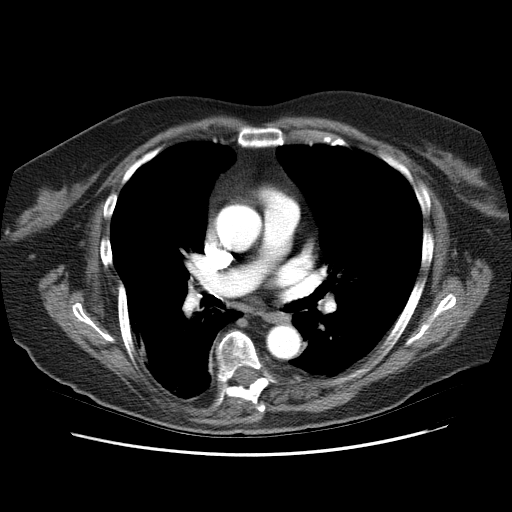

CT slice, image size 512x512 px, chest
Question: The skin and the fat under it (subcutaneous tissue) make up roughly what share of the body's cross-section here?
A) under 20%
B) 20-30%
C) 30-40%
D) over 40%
Answer: C) 30-40%
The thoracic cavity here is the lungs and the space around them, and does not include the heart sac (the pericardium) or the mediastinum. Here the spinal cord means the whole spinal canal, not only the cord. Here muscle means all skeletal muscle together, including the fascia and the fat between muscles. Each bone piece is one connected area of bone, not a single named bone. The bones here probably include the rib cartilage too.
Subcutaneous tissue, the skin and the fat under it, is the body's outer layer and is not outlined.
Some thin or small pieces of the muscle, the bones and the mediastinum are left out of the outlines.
Outlines (x, y in pixels):
bones 1: 233 329; 241 330; 251 338; 257 353; 262 358; 266 358; 269 368; 277 375; 278 382; 269 383; 258 397; 258 400; 265 406; 262 412; 250 400; 241 397; 225 395; 219 405; 213 405; 217 395; 216 346; 225 337; 225 334; inner edge: 242 366; 247 366; 248 367; 250 367; 251 368; 254 369; 256 372; 256 377; 255 378; 255 379; 247 386; 245 386; 242 384; 238 384; 234 380; 234 378; 233 377; 234 376; 234 374; 235 373; 236 370; 239 367; 241 367
bones 2: 241 126; 277 127; 286 136; 296 130; 305 130; 306 129; 320 130; 329 132; 341 137; 349 146; 347 147; 342 145; 330 145; 320 142; 313 143; 310 145; 306 143; 288 140; 284 144; 277 146; 243 147; 238 144; 237 142; 237 134
bones 3: 423 277; 426 278; 425 285; 416 307; 402 333; 389 351; 377 363; 372 365; 366 372; 359 377; 356 377; 353 379; 333 385; 329 384; 328 383; 331 380; 337 377; 346 375; 362 366; 376 354; 380 345; 393 327; 403 310; 416 281
bones 4: 120 281; 122 282; 125 289; 125 294; 127 301; 128 319; 129 320; 129 325; 130 326; 132 340; 135 349; 134 358; 135 359; 136 366; 132 362; 127 353; 122 339; 120 326; 119 325; 118 308; 117 307; 118 305; 118 290; 117 287
bones 5: 379 152; 386 153; 398 160; 408 169; 414 181; 416 183; 423 183; 425 185; 427 188; 429 194; 429 198; 430 199; 430 210; 427 215; 423 215; 422 214; 421 208; 417 199; 416 194; 412 185; 409 181; 399 171; 380 158; 379 157
bones 6: 449 293; 451 293; 455 296; 455 303; 454 305; 452 307; 442 311; 437 315; 430 326; 424 331; 423 334; 419 338; 414 340; 408 346; 405 346; 405 342; 411 336; 416 334; 420 330; 422 324; 427 320; 429 316; 435 310; 440 301
bones 7: 424 227; 427 227; 428 228; 429 228; 433 234; 433 252; 432 253; 432 257; 431 258; 431 262; 430 263; 430 264; 429 265; 429 266; 427 268; 426 268; 425 267; 421 267; 421 256; 422 255; 422 241; 423 240; 423 228
bones 8: 160 145; 164 145; 162 150; 161 150; 150 160; 142 164; 132 174; 132 175; 129 178; 129 179; 123 185; 122 185; 121 184; 121 181; 127 169; 136 160; 137 160; 140 157; 141 157; 145 153; 148 152; 150 150; 154 149; 156 147
bones 9: 76 302; 79 302; 81 304; 82 306; 82 309; 86 315; 88 316; 90 319; 101 330; 106 333; 108 333; 115 340; 114 342; 110 342; 106 340; 89 324; 83 321; 81 321; 78 319; 78 318; 74 314; 73 310; 72 309; 72 305
bones 10: 104 236; 107 236; 109 237; 109 241; 110 242; 110 246; 111 247; 111 255; 112 256; 112 263; 113 264; 112 266; 108 266; 107 267; 105 267; 104 266; 102 262; 101 257; 100 256; 100 242; 101 241; 101 239; 102 237
bones 11: 111 193; 116 193; 117 194; 117 199; 115 203; 115 206; 114 207; 113 212; 111 215; 111 217; 109 219; 108 218; 105 218; 104 217; 103 215; 103 207; 104 206; 104 203; 105 202; 105 200; 106 198; 108 196; 108 195
spinal cord: 242 366; 247 366; 248 367; 250 367; 251 368; 254 369; 256 372; 256 377; 255 378; 255 379; 247 386; 245 386; 242 384; 238 384; 234 380; 234 378; 233 377; 234 376; 234 374; 235 373; 236 370; 239 367; 241 367
mediastinum: 209 134; 229 136; 243 148; 276 147; 278 162; 320 224; 325 276; 309 295; 296 302; 291 321; 307 345; 285 367; 270 365; 241 329; 230 329; 222 339; 217 335; 242 313; 232 308; 222 310; 224 304; 201 283; 200 256; 206 231; 204 250; 209 273; 220 288; 250 300; 282 298; 314 277; 319 258; 317 232; 303 199; 286 178; 229 186; 209 203; 216 179; 236 160; 229 145; 209 139
torso: 327 89; 407 102; 480 132; 501 183; 511 238; 505 312; 485 364; 459 371; 412 395; 397 409; 370 419; 259 437; 199 436; 156 427; 96 405; 34 364; 12 335; 0 272; 4 208; 17 167; 96 122; 149 99; 200 95; 266 104
thoracic cavity 1: 317 143; 355 148; 381 159; 411 185; 422 215; 420 267; 402 310; 383 340; 365 358; 353 368; 329 377; 280 369; 298 358; 308 345; 293 324; 294 310; 326 274; 320 247; 321 224; 302 190; 279 162; 276 149; 285 144
thoracic cavity 2: 196 137; 227 145; 235 153; 208 197; 197 277; 223 304; 222 311; 232 309; 241 316; 216 334; 220 339; 214 350; 215 385; 202 395; 184 399; 154 380; 136 348; 126 289; 113 263; 110 224; 118 195; 133 174; 165 148
muscle: 213 115; 234 116; 253 125; 241 125; 236 139; 209 133; 164 148; 160 144; 126 169; 119 193; 109 193; 103 203; 102 215; 110 223; 109 236; 100 239; 99 256; 103 266; 113 266; 119 276; 118 325; 136 367; 136 349; 153 380; 170 394; 190 400; 216 383; 214 407; 226 396; 250 401; 262 413; 266 409; 259 400; 262 391; 279 382; 269 364; 329 378; 353 369; 379 345; 362 365; 331 379; 327 383; 333 386; 366 373; 406 328; 426 285; 425 276; 417 279; 420 268; 430 266; 434 252; 434 234; 423 227; 423 216; 431 210; 428 188; 390 154; 379 151; 376 156; 351 147; 335 133; 306 128; 286 135; 277 126; 256 126; 281 116; 347 123; 399 148; 428 173; 448 222; 450 272; 463 280; 476 258; 483 258; 493 272; 487 294; 459 336; 342 405; 319 412; 267 412; 258 422; 220 426; 170 417; 151 408; 67 336; 44 307; 38 280; 65 264; 70 285; 84 286; 86 262; 80 242; 104 196; 97 190; 121 160; 151 137, around holes outlined by 449 293; 451 293; 455 296; 455 303; 454 305; 452 307; 442 311; 437 315; 430 326; 424 331; 423 334; 419 338; 414 340; 408 346; 405 346; 405 342; 411 336; 416 334; 420 330; 422 324; 427 320; 429 316; 435 310; 440 301 and by 76 302; 79 302; 81 304; 82 306; 82 309; 86 315; 88 316; 90 319; 101 330; 106 333; 108 333; 115 340; 114 342; 110 342; 106 340; 89 324; 83 321; 81 321; 78 319; 78 318; 74 314; 73 310; 72 309; 72 305
pericardium: 274 179; 284 180; 286 179; 297 191; 310 214; 317 238; 318 252; 317 268; 313 277; 308 282; 295 288; 282 297; 269 299; 250 299; 223 289; 213 280; 211 276; 210 267; 205 250; 209 220; 209 204; 213 197; 223 189; 248 182